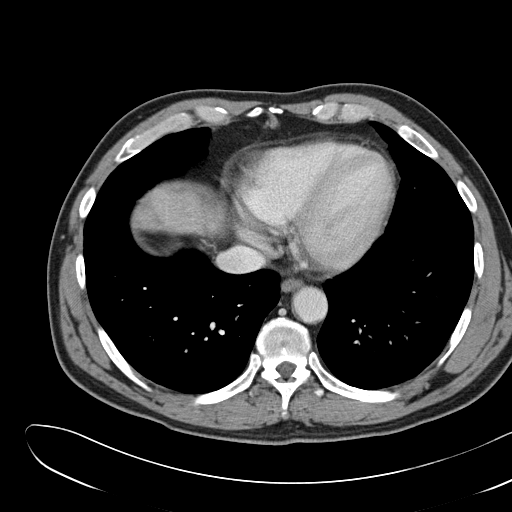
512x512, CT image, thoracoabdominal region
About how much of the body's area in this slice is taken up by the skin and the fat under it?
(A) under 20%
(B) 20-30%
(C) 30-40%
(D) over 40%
(A) under 20%
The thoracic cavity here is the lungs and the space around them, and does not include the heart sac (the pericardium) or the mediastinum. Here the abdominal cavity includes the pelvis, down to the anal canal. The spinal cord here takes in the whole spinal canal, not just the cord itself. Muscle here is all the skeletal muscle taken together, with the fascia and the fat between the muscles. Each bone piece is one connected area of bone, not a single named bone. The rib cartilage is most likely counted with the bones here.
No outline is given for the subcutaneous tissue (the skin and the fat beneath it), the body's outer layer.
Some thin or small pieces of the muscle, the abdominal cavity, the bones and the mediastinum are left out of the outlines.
{"mediastinum":[[[285,113],[320,123],[371,120],[370,124],[388,144],[389,153],[383,145],[367,136],[316,130],[269,138],[234,149],[219,172],[217,193],[207,175],[189,171],[205,156],[211,132],[206,126],[194,127],[198,123],[226,125],[240,116],[255,118],[262,114]],[[229,234],[264,252],[269,260],[275,262],[286,274],[300,274],[316,282],[325,281],[323,289],[328,310],[315,343],[303,324],[288,317],[277,316],[262,324],[280,298],[280,276],[276,271],[261,268],[247,273],[231,273],[212,262],[212,255],[220,240]]],"spinal_cord":[[[283,362],[289,362],[290,363],[293,364],[295,366],[295,367],[294,368],[293,371],[290,374],[289,377],[288,377],[287,378],[284,378],[283,377],[282,377],[281,374],[277,370],[277,367],[281,363],[282,363]]],"bones":[{"outer":[[277,317],[307,329],[322,365],[339,380],[367,390],[398,390],[400,396],[366,402],[328,389],[318,396],[313,391],[321,384],[313,373],[295,389],[283,418],[281,394],[257,374],[249,388],[226,399],[192,404],[192,396],[219,389],[243,372],[262,325]],"hole":[[283,362],[289,362],[290,363],[293,364],[295,366],[295,367],[294,368],[293,371],[290,374],[289,377],[288,377],[287,378],[284,378],[283,377],[282,377],[281,374],[277,370],[277,367],[281,363],[282,363]]},[[196,105],[222,107],[228,111],[228,115],[231,121],[226,124],[207,124],[204,121],[200,121],[193,127],[169,132],[158,138],[131,157],[118,164],[116,163],[114,160],[115,156],[123,144],[129,138],[137,134],[140,134],[171,114],[178,112],[192,113]],[[331,101],[335,101],[340,104],[344,103],[356,103],[368,106],[373,110],[374,113],[373,119],[366,118],[355,122],[340,122],[336,117],[333,117],[329,120],[329,122],[320,122],[317,121],[315,120],[315,118],[311,114],[312,109],[318,105]],[[99,325],[100,325],[103,328],[110,339],[113,342],[118,351],[122,355],[126,361],[139,374],[139,377],[152,389],[151,391],[148,391],[146,390],[141,386],[132,381],[128,377],[127,377],[112,361],[102,346],[100,342],[98,334],[96,331],[96,327]],[[400,124],[405,124],[406,125],[408,125],[413,129],[419,132],[436,150],[438,154],[438,158],[437,160],[436,161],[432,159],[427,155],[424,154],[422,152],[415,148],[408,142],[407,142],[403,138],[402,138],[394,129],[396,125],[399,125]],[[465,306],[470,306],[471,307],[471,317],[469,323],[465,330],[465,332],[463,334],[459,342],[442,364],[439,366],[437,366],[437,362],[439,359],[439,356],[440,354],[446,349],[447,347],[446,346],[448,343],[449,338],[454,330]],[[459,179],[462,180],[465,183],[465,184],[469,188],[469,189],[471,191],[471,192],[473,194],[475,198],[476,204],[477,205],[477,209],[474,213],[471,213],[470,212],[467,206],[465,204],[464,201],[462,199],[456,187],[455,183],[456,181]],[[91,186],[93,186],[95,188],[96,190],[96,196],[95,197],[95,199],[93,202],[93,204],[88,214],[86,216],[86,217],[84,219],[83,219],[82,218],[80,218],[79,216],[79,206],[80,205],[81,200],[84,194],[89,188],[89,187]],[[474,241],[478,241],[481,244],[481,247],[482,248],[482,251],[483,252],[483,271],[482,272],[481,277],[479,279],[478,278],[477,278],[477,277],[474,274],[474,264],[473,263],[473,260],[474,259],[474,251],[473,250],[473,249],[474,248]],[[79,253],[82,253],[82,254],[83,255],[83,259],[84,260],[84,265],[85,266],[85,287],[86,288],[85,289],[81,289],[81,288],[78,283],[78,281],[77,280],[77,277],[76,276],[76,271],[75,270],[75,258],[76,257],[76,256]],[[256,106],[261,106],[265,109],[266,109],[267,107],[269,106],[278,107],[279,108],[281,108],[283,109],[284,112],[281,114],[274,114],[266,110],[263,113],[262,113],[258,116],[256,116],[255,117],[248,117],[246,116],[245,114],[249,110],[252,109]]],"pericardium":[[[316,131],[357,134],[379,143],[389,154],[399,178],[395,201],[383,234],[355,265],[333,278],[322,281],[308,279],[300,273],[284,272],[264,251],[228,233],[224,220],[224,206],[218,199],[220,189],[218,178],[224,163],[234,150],[269,139]]],"abdominal_cavity":[[[187,172],[197,172],[207,176],[213,184],[217,199],[223,206],[223,220],[228,234],[219,240],[211,255],[211,261],[205,254],[194,248],[181,249],[168,257],[151,255],[138,246],[129,228],[129,216],[136,200],[158,182],[176,176],[183,176]]],"muscle":[{"outer":[[343,92],[359,93],[375,97],[393,106],[403,114],[413,120],[452,154],[461,166],[463,172],[468,176],[480,193],[488,209],[491,218],[497,248],[504,256],[508,268],[511,272],[511,335],[504,347],[487,366],[467,385],[447,398],[398,418],[383,422],[372,424],[363,424],[362,425],[346,425],[345,426],[333,426],[322,423],[315,423],[313,426],[310,426],[306,425],[301,421],[286,419],[285,420],[280,420],[276,423],[269,425],[264,424],[261,427],[253,429],[221,429],[220,428],[206,427],[186,423],[160,414],[116,391],[100,380],[90,375],[75,364],[70,358],[66,350],[60,328],[60,321],[59,320],[60,308],[59,307],[59,292],[58,291],[59,272],[62,262],[62,258],[64,255],[64,251],[68,240],[67,237],[68,222],[72,206],[77,195],[86,184],[86,180],[94,170],[104,154],[123,135],[138,123],[143,121],[149,116],[164,107],[180,100],[189,98],[199,98],[200,97],[217,97],[233,101],[259,100],[277,104],[282,103],[286,104],[287,103],[306,102],[314,99],[322,99],[326,95]],"hole":[[331,101],[368,106],[374,120],[392,129],[405,124],[416,130],[436,150],[436,162],[453,183],[462,180],[473,194],[473,240],[481,244],[483,271],[479,279],[473,275],[465,304],[471,307],[471,317],[459,342],[441,365],[438,356],[415,377],[389,387],[400,396],[385,402],[361,401],[328,389],[318,396],[313,391],[321,384],[313,373],[291,395],[285,418],[281,394],[258,374],[249,388],[197,405],[192,404],[194,394],[140,373],[152,390],[132,381],[102,346],[96,331],[100,323],[76,276],[75,258],[84,249],[85,220],[79,206],[86,191],[93,186],[98,192],[129,138],[171,114],[192,113],[196,105],[219,106],[235,120],[256,106],[273,106],[314,120],[312,109]]}],"torso":[[[337,82],[384,85],[415,98],[462,141],[493,186],[511,224],[511,364],[496,383],[469,405],[397,433],[285,445],[237,443],[180,433],[117,409],[78,387],[64,373],[54,352],[46,266],[64,198],[106,131],[135,106],[169,92],[196,88],[295,91]]],"thoracic_cavity":[[[204,127],[210,131],[204,156],[183,175],[158,181],[135,200],[130,234],[154,257],[194,249],[231,274],[272,270],[279,276],[279,298],[263,319],[242,372],[219,388],[192,394],[150,380],[119,351],[90,303],[83,241],[97,193],[119,164],[169,133]],[[372,120],[393,129],[445,171],[469,211],[473,227],[472,283],[467,301],[446,345],[415,377],[392,387],[377,389],[358,387],[339,379],[323,365],[313,348],[329,310],[324,283],[355,266],[384,234],[400,188],[401,176],[390,153],[389,144],[371,124]]]}